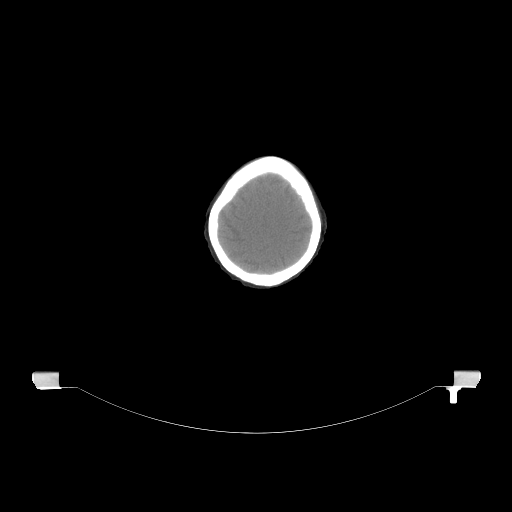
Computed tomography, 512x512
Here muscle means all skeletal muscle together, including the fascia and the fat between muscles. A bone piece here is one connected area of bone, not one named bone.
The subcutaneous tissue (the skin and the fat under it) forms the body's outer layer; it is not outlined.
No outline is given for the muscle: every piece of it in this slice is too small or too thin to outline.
Outlines (x, y in pixels):
brain: (268, 173) (278, 175) (285, 180) (299, 197) (310, 222) (310, 230) (308, 240) (306, 244) (306, 247) (303, 252) (295, 261) (289, 265) (272, 272) (248, 271) (241, 267) (230, 258) (220, 242) (219, 239) (219, 216) (223, 208) (233, 199) (238, 191) (243, 186) (254, 178)
bones: (269, 154) (281, 156) (289, 160) (300, 170) (308, 180) (313, 191) (321, 219) (321, 234) (317, 248) (312, 258) (298, 273) (277, 285) (263, 286) (256, 285) (241, 280) (230, 273) (220, 263) (210, 243) (207, 225) (210, 208) (226, 180) (232, 173) (248, 161) (254, 158) with a hole at (268, 173) (278, 175) (285, 180) (299, 197) (310, 222) (310, 230) (308, 240) (306, 244) (306, 247) (303, 252) (295, 261) (289, 265) (272, 272) (248, 271) (241, 267) (230, 258) (220, 242) (219, 239) (219, 216) (223, 208) (233, 199) (238, 191) (243, 186) (254, 178)
head: (259, 154) (277, 154) (295, 162) (307, 174) (315, 186) (328, 217) (328, 229) (325, 241) (313, 265) (301, 277) (289, 285) (269, 291) (255, 291) (242, 287) (237, 282) (230, 281) (218, 269) (210, 257) (202, 236) (204, 212) (210, 198) (218, 186) (238, 165) (248, 158)